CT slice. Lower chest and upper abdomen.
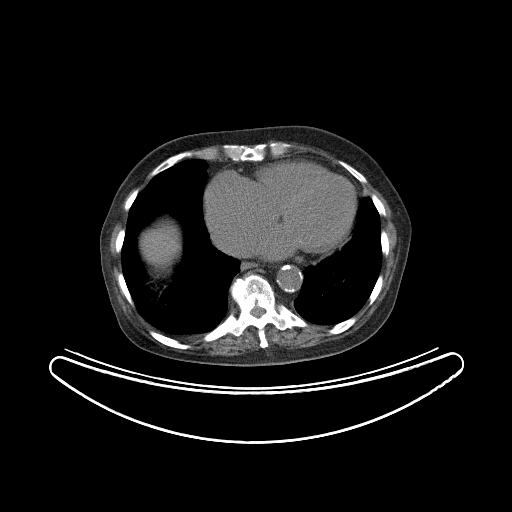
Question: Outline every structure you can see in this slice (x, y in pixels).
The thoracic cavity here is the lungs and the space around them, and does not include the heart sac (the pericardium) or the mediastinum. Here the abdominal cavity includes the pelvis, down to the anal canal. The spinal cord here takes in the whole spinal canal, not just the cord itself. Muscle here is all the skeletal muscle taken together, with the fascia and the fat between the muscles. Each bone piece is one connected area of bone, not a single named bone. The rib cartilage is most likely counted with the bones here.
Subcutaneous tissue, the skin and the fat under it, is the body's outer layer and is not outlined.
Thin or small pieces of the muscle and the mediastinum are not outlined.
Answer: The bones appear in 11 outlined pieces: piece 1: 248,274 257,274 266,279 276,299 306,321 307,326 293,326 281,330 268,323 264,327 267,341 264,348 260,346 258,330 252,325 247,326 238,336 227,333 214,340 204,341 203,337 236,306 229,294 232,281 with a hole at 256,306 257,307 260,307 261,308 262,308 264,310 264,312 259,317 256,317 255,316 254,316 252,314 251,314 251,310 253,308 254,308; piece 2: 271,142 287,142 291,145 286,153 276,157 268,156 259,161 234,161 223,156 213,160 195,157 185,158 152,177 149,175 154,168 168,157 183,151 196,151 204,148 219,148 223,144 237,144 252,147 256,144; piece 3: 150,330 154,330 168,337 170,337 171,338 176,339 182,343 185,343 186,344 188,344 190,345 191,347 187,349 181,349 180,348 175,348 174,347 171,347 170,346 168,346 156,340 149,333 149,331; piece 4: 353,316 354,316 356,318 356,320 355,321 355,322 350,327 349,327 344,331 343,331 340,333 337,333 336,334 330,334 328,332 328,330 332,326 333,326 335,324 337,324 340,322 342,322 343,321 344,321; piece 5: 339,160 342,160 343,161 346,162 354,168 355,168 359,172 360,172 366,178 366,179 367,180 367,182 366,183 361,183 359,181 358,181 358,180 350,172 349,172 346,169 345,169 339,164 338,164 338,161; piece 6: 119,272 121,272 123,275 123,277 124,278 126,286 128,289 128,291 130,294 130,296 132,299 132,301 134,305 131,305 129,303 129,302 125,297 123,292 121,290 118,284 118,280 117,279 117,274; piece 7: 380,274 381,274 382,275 382,286 381,287 381,289 380,290 378,295 374,300 374,301 370,305 369,305 369,304 368,303 368,299 369,298 369,296 370,295 370,294 375,285 375,283 378,278 378,276; piece 8: 381,230 384,230 386,232 386,233 387,234 387,236 388,237 388,240 389,241 389,250 388,251 388,254 387,255 387,256 384,256 383,255 383,254 382,253 382,250 381,249; piece 9: 121,229 125,229 125,234 124,235 124,238 123,239 123,242 122,243 122,246 121,247 121,250 119,253 117,253 116,252 116,250 115,249 115,241 116,240 116,237 117,236 117,234 118,233 118,232; piece 10: 372,194 375,194 376,195 376,196 381,201 381,202 383,204 383,206 384,207 384,209 385,210 385,216 381,216 379,214 379,213 378,212 378,211 377,210 375,205 373,203 373,201 371,198 371,195; piece 11: 136,188 137,188 139,190 139,191 138,192 136,197 134,199 133,202 131,204 131,205 130,206 128,211 125,211 125,210 124,209 124,205 125,204 125,202 126,201 127,198 130,195 130,194 133,191 133,190. The pericardium is outlined by 289,155 309,156 327,160 333,163 352,181 357,191 358,202 353,226 345,240 320,260 307,266 300,266 292,259 266,263 251,258 237,257 218,249 210,237 203,211 203,193 212,175 220,168 233,163 265,163. The muscle appears in 4 outlined pieces: piece 1: 368,181 386,200 400,228 398,260 382,301 363,325 339,339 294,349 265,348 268,346 265,333 265,327 268,324 283,331 293,327 305,328 310,323 331,326 327,330 330,335 340,334 356,322 355,315 366,302 370,306 379,295 383,286 383,275 380,273 382,258 389,254 390,241 387,232 381,229 380,216 386,216 384,204 375,193 367,195 362,186; piece 2: 132,189 123,205 124,211 127,212 126,226 117,232 114,241 115,252 117,254 120,253 121,265 121,271 116,274 116,279 117,284 128,303 131,306 134,306 141,317 153,327 154,329 150,329 148,333 156,341 168,347 187,350 192,347 190,344 186,343 187,342 193,342 202,337 202,340 204,342 211,342 227,334 238,337 244,332 247,327 252,326 257,330 259,346 261,348 255,350 252,353 244,353 240,355 203,355 197,353 179,352 161,346 152,341 143,335 125,316 116,299 111,274 108,270 107,255 110,237 117,212 120,209 121,204 126,196; piece 3: 293,142 298,144 303,144 304,145 307,145 316,148 320,148 340,159 337,161 337,163 334,163 333,161 328,159 326,157 324,157 322,155 313,153 312,152 296,152 295,151 290,151 288,152 292,146 290,143; piece 4: 149,173 149,174 148,175 149,176 149,177 150,178 151,178 148,181 148,182 145,185 145,186 141,190 140,190 137,187 134,188 136,186 137,186 138,185 138,184 139,184 140,183 140,182 145,177 145,176. The mediastinum appears in 4 outlined pieces: piece 1: 351,230 347,242 340,249 318,263 304,269 299,293 293,300 295,313 277,299 272,285 263,276 257,273 248,273 243,277 235,277 240,270 240,261 237,258 251,259 266,264 292,260 300,267 307,267 314,263 320,261 330,252 341,245; piece 2: 227,159 228,160 231,160 234,162 237,162 233,162 227,165 224,165 217,169 211,175 206,183 207,181 207,177 208,176 207,175 207,169 208,168 208,163 207,161 209,160 210,161 213,161 214,160 226,160; piece 3: 335,164 339,165 342,168 343,168 349,173 350,173 357,180 357,181 361,184 361,186 363,188 363,191 365,192 365,194 366,195 362,197 359,200 359,201 359,195 358,194 358,191 353,181 338,167 337,167; piece 4: 290,152 312,153 322,156 327,159 324,159 315,156 310,156 309,155 293,155 292,154 289,154 286,156 282,157 278,157 274,159 270,159 265,162 258,162 256,163 255,162 252,161 239,161 253,161 259,162 268,157 276,158 277,157. The spinal cord is outlined by 256,306 257,307 260,307 261,308 262,308 264,310 264,312 259,317 256,317 255,316 254,316 252,314 251,314 251,310 253,308 254,308. The abdominal cavity is outlined by 161,214 168,214 177,220 181,226 183,234 183,248 182,249 183,250 181,261 175,268 175,271 170,281 167,284 165,289 162,291 160,296 157,297 156,292 147,284 148,275 138,253 137,240 140,231 157,216. The torso is outlined by 275,125 314,126 352,141 377,161 399,193 409,214 412,232 407,261 390,315 371,337 350,349 317,359 281,365 201,364 170,359 141,349 124,335 118,325 100,263 100,231 118,187 142,157 171,139 199,132. The thoracic cavity appears in 2 outlined pieces: piece 1: 193,158 205,160 207,163 207,176 202,193 202,214 210,242 218,250 236,258 239,261 239,270 228,288 230,298 228,314 203,336 186,342 157,331 138,312 122,272 121,251 128,212 139,192 154,176 182,160 with a hole at 161,214 168,214 177,220 181,226 183,234 183,248 182,249 183,250 181,261 175,268 175,271 170,281 167,284 165,289 162,291 160,296 157,297 156,292 147,284 148,275 138,253 137,240 140,231 157,216; piece 2: 366,196 370,197 380,220 380,249 382,257 379,274 374,285 367,300 354,315 333,325 321,325 308,322 297,314 294,309 294,300 300,293 304,280 304,271 340,250 348,242 355,225 359,202.